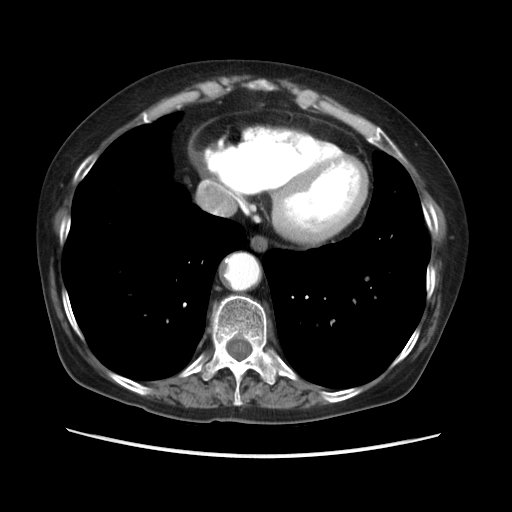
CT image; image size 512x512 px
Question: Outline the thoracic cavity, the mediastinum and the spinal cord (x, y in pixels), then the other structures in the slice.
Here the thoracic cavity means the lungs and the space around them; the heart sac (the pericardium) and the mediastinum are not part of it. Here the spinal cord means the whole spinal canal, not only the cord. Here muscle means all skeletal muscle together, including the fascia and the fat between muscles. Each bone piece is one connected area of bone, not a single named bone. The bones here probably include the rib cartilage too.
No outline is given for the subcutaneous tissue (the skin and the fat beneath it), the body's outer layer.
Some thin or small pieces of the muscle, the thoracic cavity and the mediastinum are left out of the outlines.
Answer: Outlines:
thoracic cavity 1: [[173,112],[181,116],[169,132],[172,180],[184,186],[190,200],[203,211],[242,226],[246,239],[242,248],[228,253],[216,268],[206,310],[210,331],[205,348],[178,373],[139,382],[109,369],[90,349],[65,287],[62,254],[76,188],[99,156],[133,127]]
thoracic cavity 2: [[378,150],[390,155],[403,166],[420,200],[430,243],[425,272],[425,303],[416,327],[385,370],[361,385],[330,390],[301,377],[270,343],[268,317],[274,319],[274,310],[262,257],[271,249],[301,252],[339,242],[360,228],[366,219],[373,195],[373,156]]
mediastinum 1: [[238,86],[262,92],[287,91],[300,108],[347,124],[379,149],[373,153],[372,167],[356,135],[323,119],[286,108],[229,110],[199,119],[183,148],[184,162],[197,194],[281,247],[306,250],[271,248],[261,257],[273,319],[257,300],[233,293],[213,306],[207,320],[217,268],[228,254],[244,247],[246,232],[238,222],[203,210],[191,200],[187,188],[173,180],[170,132],[182,116],[180,111],[173,111],[198,101],[213,100]]
mediastinum 2: [[365,215],[365,219],[363,223],[360,226],[360,227],[356,229],[349,236],[347,237],[345,237],[347,236],[352,231],[353,231],[356,228],[357,228],[358,226],[360,225],[360,224],[364,219],[364,217]]
spinal cord: [[233,338],[237,338],[238,339],[243,339],[244,340],[245,340],[250,345],[250,346],[251,347],[251,351],[250,352],[250,353],[247,356],[246,356],[243,359],[242,359],[241,360],[238,360],[234,357],[233,357],[228,352],[228,351],[227,350],[227,343]]
muscle 1: [[404,155],[424,180],[427,190],[442,209],[446,220],[448,238],[441,250],[440,313],[436,329],[429,343],[418,356],[392,377],[388,377],[360,393],[363,389],[359,386],[373,380],[388,368],[393,368],[411,352],[420,335],[421,331],[417,326],[424,311],[426,300],[430,299],[436,283],[436,269],[429,262],[431,255],[430,234],[434,237],[438,234],[438,217],[433,204],[429,200],[420,199],[417,189],[403,165],[407,163]]
muscle 2: [[224,368],[227,368],[231,372],[235,381],[232,406],[220,405],[214,408],[183,407],[141,396],[148,395],[152,391],[151,387],[141,382],[161,380],[176,374],[179,378],[185,378],[199,372],[201,372],[201,378],[204,381],[208,381],[219,370]]
muscle 3: [[248,370],[255,371],[265,383],[271,386],[276,382],[277,376],[293,381],[297,381],[299,376],[329,390],[320,390],[319,394],[325,401],[333,403],[314,405],[304,409],[241,407],[239,406],[243,404],[243,401],[240,395],[240,384],[242,376]]
muscle 4: [[75,170],[72,177],[72,183],[77,185],[71,202],[70,214],[64,215],[61,218],[58,230],[59,244],[61,247],[63,247],[61,254],[61,274],[64,286],[60,290],[61,302],[67,320],[73,331],[81,341],[85,341],[89,349],[97,359],[110,370],[107,372],[108,376],[121,386],[101,376],[80,355],[62,328],[50,296],[49,263],[50,257],[54,254],[56,250],[56,241],[53,232],[53,218],[62,203],[66,186]]
muscle 5: [[242,74],[251,74],[256,77],[262,77],[251,79],[247,81],[244,84],[244,86],[243,85],[238,85],[235,89],[233,90],[232,90],[229,85],[230,84],[229,80],[225,77],[222,77],[219,81],[216,81],[215,80],[204,81],[199,84],[198,89],[188,90],[173,95],[153,106],[144,109],[161,98],[165,96],[175,94],[186,87],[192,85],[194,83],[202,82],[207,79],[216,76],[228,76],[229,75],[241,75]]
muscle 6: [[276,78],[288,79],[291,82],[303,85],[321,94],[325,94],[336,100],[344,106],[349,108],[353,112],[358,113],[364,117],[362,117],[354,113],[346,111],[330,103],[324,99],[320,99],[318,94],[315,91],[308,88],[304,88],[303,89],[300,89],[296,87],[293,88],[291,90],[291,92],[295,96],[294,97],[294,101],[290,97],[290,93],[287,90],[277,88],[276,85],[273,82],[267,79],[273,80]]
muscle 7: [[139,113],[136,120],[137,121],[136,122],[136,125],[128,129],[119,136],[118,136],[113,141],[112,141],[111,143],[110,143],[109,145],[108,145],[99,155],[99,154],[95,151],[90,153],[93,151],[105,138],[106,138],[119,127],[122,126],[131,120]]
pericardium: [[265,107],[291,110],[323,120],[358,138],[361,148],[371,163],[371,197],[359,225],[344,237],[307,249],[281,246],[233,213],[230,214],[227,209],[200,196],[196,191],[185,162],[184,151],[186,140],[197,126],[196,123],[206,116],[218,113],[257,110]]
bones 1: [[233,294],[248,296],[263,307],[269,343],[298,375],[297,380],[277,375],[271,385],[255,370],[248,369],[241,376],[239,395],[242,404],[238,406],[233,404],[235,377],[227,367],[219,369],[208,380],[202,378],[201,371],[178,376],[208,347],[214,306]] with a hole at [[233,338],[237,338],[238,339],[243,339],[244,340],[245,340],[250,345],[250,346],[251,347],[251,351],[250,352],[250,353],[247,356],[246,356],[243,359],[242,359],[241,360],[238,360],[234,357],[233,357],[228,352],[228,351],[227,350],[227,343]]
bones 2: [[295,88],[300,90],[311,90],[317,94],[320,100],[324,100],[346,112],[364,118],[372,124],[380,127],[401,152],[406,163],[402,164],[390,154],[370,143],[361,133],[347,123],[320,110],[311,107],[307,109],[300,107],[295,102],[296,96],[292,92]]
bones 3: [[222,78],[228,80],[228,85],[231,89],[229,92],[226,92],[213,99],[202,95],[200,98],[204,100],[188,103],[178,109],[161,115],[149,123],[137,125],[138,117],[142,111],[153,107],[173,96],[188,91],[198,90],[200,84],[204,82],[219,82]]
bones 4: [[109,371],[112,371],[121,376],[123,376],[126,378],[128,378],[131,380],[133,380],[136,382],[138,382],[143,385],[145,385],[151,388],[151,391],[150,393],[146,394],[145,395],[141,395],[136,392],[134,392],[122,386],[109,376],[108,374],[108,372]]
bones 5: [[353,387],[360,387],[362,389],[362,390],[358,394],[352,397],[350,397],[347,399],[345,399],[341,401],[338,401],[337,402],[329,402],[325,400],[320,394],[320,391],[337,391],[338,390],[343,390],[344,389],[348,389],[349,388],[352,388]]
bones 6: [[421,200],[429,201],[432,204],[435,210],[435,213],[437,217],[437,224],[438,225],[438,230],[437,231],[437,234],[436,236],[434,236],[430,233],[426,225],[426,222],[425,221],[425,218],[424,217],[424,214],[423,213],[423,210],[421,205]]
bones 7: [[64,287],[67,291],[67,294],[69,298],[69,301],[70,302],[73,315],[75,318],[77,325],[83,335],[83,337],[85,340],[84,341],[81,340],[74,331],[68,320],[68,318],[64,310],[64,307],[62,302],[62,297],[61,296],[61,290],[62,288]]
bones 8: [[95,152],[98,154],[98,157],[96,159],[96,160],[94,162],[94,163],[92,165],[92,166],[90,168],[88,172],[85,175],[85,176],[78,183],[73,183],[73,177],[74,176],[74,174],[76,170],[80,165],[80,164],[88,155],[92,153],[94,153]]
bones 9: [[417,327],[419,328],[419,330],[420,331],[419,332],[419,335],[418,336],[418,338],[414,346],[412,348],[410,352],[401,361],[400,361],[393,367],[389,368],[388,367],[390,365],[390,364],[396,358],[396,357],[403,349],[406,343],[410,338],[411,335]]
bones 10: [[259,78],[265,78],[270,82],[273,83],[275,85],[276,88],[272,88],[271,89],[270,89],[268,91],[262,91],[261,90],[253,90],[252,89],[248,89],[245,86],[245,84],[247,82],[248,82],[251,80],[254,80],[255,79],[258,79]]
bones 11: [[429,263],[430,263],[434,267],[434,268],[435,269],[435,283],[434,284],[434,287],[433,288],[433,291],[432,292],[432,293],[431,294],[431,295],[430,296],[430,297],[429,298],[429,299],[428,299],[427,300],[426,299],[426,272],[427,271],[427,266]]
bones 12: [[67,215],[70,215],[70,226],[69,227],[69,231],[68,232],[67,237],[63,244],[63,246],[61,246],[61,245],[60,244],[60,240],[59,239],[59,230],[60,229],[60,224],[61,223],[61,220],[62,219],[62,218],[64,216],[66,216]]
torso: [[221,58],[301,65],[370,89],[397,107],[423,132],[455,178],[470,233],[465,274],[425,369],[403,397],[363,411],[307,423],[192,423],[155,415],[96,393],[78,384],[65,371],[46,312],[36,256],[36,208],[46,170],[74,128],[126,85],[171,65]]